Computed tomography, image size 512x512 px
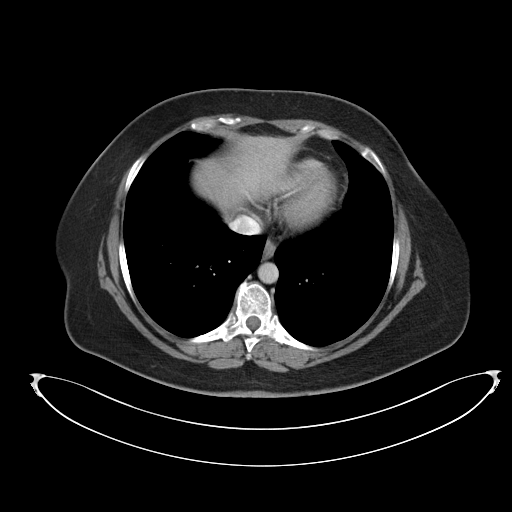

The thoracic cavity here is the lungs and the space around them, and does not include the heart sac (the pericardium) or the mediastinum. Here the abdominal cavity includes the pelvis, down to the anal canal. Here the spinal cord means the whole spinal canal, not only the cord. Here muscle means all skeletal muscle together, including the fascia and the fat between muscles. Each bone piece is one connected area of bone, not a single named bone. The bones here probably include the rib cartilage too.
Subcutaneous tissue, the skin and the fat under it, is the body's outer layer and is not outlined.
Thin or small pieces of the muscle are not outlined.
Outlines:
bones 1: 244 280; 255 281; 263 286; 273 300; 273 310; 283 327; 294 338; 316 347; 317 350; 301 349; 262 335; 251 349; 251 358; 248 360; 245 336; 242 334; 228 341; 215 339; 189 342; 189 338; 214 329; 226 319; 235 306; 236 290 with a hole at 252 316; 254 316; 255 317; 257 317; 259 319; 259 320; 260 321; 260 324; 259 325; 259 326; 257 328; 256 328; 254 330; 252 330; 250 328; 249 328; 247 326; 247 325; 246 324; 246 321; 247 320; 247 319; 249 317; 251 317
bones 2: 121 240; 123 240; 123 243; 124 244; 125 256; 126 257; 127 267; 129 272; 129 277; 131 281; 131 285; 133 291; 137 298; 138 303; 135 303; 130 297; 122 276; 121 268; 120 267; 120 262; 119 261; 119 250; 118 249; 118 246
bones 3: 219 117; 229 117; 230 118; 239 117; 240 118; 240 121; 234 124; 217 123; 216 125; 215 125; 212 128; 204 131; 197 131; 196 130; 193 130; 190 126; 190 125; 193 122; 199 122; 202 120; 205 120; 206 119; 216 119
bones 4: 394 234; 399 240; 399 255; 398 256; 397 267; 396 268; 396 271; 395 272; 395 276; 393 280; 393 283; 390 289; 388 291; 386 291; 386 288; 388 284; 389 276; 390 275; 390 269; 391 268; 392 249; 393 248; 393 237; 394 236
bones 5: 143 153; 146 153; 148 155; 148 156; 146 158; 145 161; 142 164; 140 169; 138 171; 133 181; 131 183; 131 185; 127 193; 126 193; 124 190; 124 188; 125 187; 125 183; 126 182; 126 179; 127 178; 129 170; 134 161; 141 154
bones 6: 306 124; 311 124; 313 125; 316 129; 328 129; 329 130; 331 130; 336 133; 339 136; 339 138; 338 139; 333 139; 332 140; 331 139; 322 138; 318 136; 315 133; 312 133; 311 132; 309 132; 308 133; 299 132; 300 131; 300 129
bones 7: 365 147; 369 147; 371 148; 378 156; 385 170; 385 172; 386 173; 386 176; 385 178; 382 175; 382 174; 377 169; 376 169; 376 168; 369 161; 368 161; 365 158; 364 158; 360 154; 359 152; 360 150; 361 150
pericardium: 300 147; 310 148; 336 158; 340 162; 346 173; 347 189; 341 208; 338 211; 333 213; 317 227; 296 235; 292 238; 272 237; 265 231; 258 220; 242 207; 244 193; 248 189; 258 188; 272 183; 284 170; 288 161; 295 154; 297 149
mediastinum 1: 240 207; 254 217; 264 231; 272 238; 289 239; 284 240; 273 254; 273 261; 278 269; 278 278; 273 298; 258 281; 248 281; 245 279; 260 262; 266 236; 263 234; 248 235; 238 233; 227 225; 227 222; 230 222; 238 213
mediastinum 2: 311 136; 317 136; 322 139; 331 140; 331 143; 333 147; 343 160; 346 166; 347 172; 348 173; 348 184; 347 173; 341 162; 336 157; 323 151; 320 151; 310 147; 307 147; 306 146; 300 146; 299 147; 306 139; 309 138
spinal cord: 252 316; 254 316; 255 317; 257 317; 259 319; 259 320; 260 321; 260 324; 259 325; 259 326; 257 328; 256 328; 254 330; 252 330; 250 328; 249 328; 247 326; 247 325; 246 324; 246 321; 247 320; 247 319; 249 317; 251 317
muscle 1: 381 160; 403 205; 426 285; 375 337; 354 351; 287 372; 268 370; 252 361; 239 367; 215 369; 205 363; 176 358; 154 345; 99 284; 97 259; 102 233; 118 185; 131 165; 123 188; 123 239; 117 246; 121 276; 131 300; 139 302; 162 328; 188 338; 189 343; 228 342; 244 336; 248 361; 262 336; 279 344; 317 351; 317 347; 342 340; 357 330; 394 283; 400 240; 394 233; 392 201
muscle 2: 219 113; 234 113; 262 119; 317 120; 339 129; 368 146; 357 151; 347 143; 340 140; 340 136; 333 130; 328 128; 316 128; 311 123; 304 124; 298 132; 289 132; 270 123; 256 123; 238 128; 213 128; 217 124; 234 125; 241 121; 239 116; 219 116; 216 118; 206 118; 199 121; 193 121; 189 125; 191 129; 176 133; 161 143; 149 155; 146 152; 141 153; 150 144; 166 133; 196 117
abdominal cavity: 256 124; 270 124; 289 133; 315 134; 306 138; 298 146; 283 170; 272 182; 248 188; 243 193; 237 213; 225 223; 215 210; 196 197; 190 189; 188 183; 190 160; 204 156; 220 144; 221 140; 218 137; 205 131; 215 128; 238 129
torso: 219 87; 330 94; 360 105; 387 126; 417 172; 447 209; 469 250; 470 313; 463 333; 451 346; 399 371; 348 389; 293 397; 223 397; 158 383; 74 345; 64 327; 66 284; 54 253; 56 227; 71 194; 102 150; 142 111; 177 94
thoracic cavity 1: 190 130; 203 132; 220 140; 211 151; 189 160; 187 183; 193 195; 215 211; 232 231; 248 236; 263 235; 265 241; 257 266; 237 286; 225 319; 206 332; 182 337; 158 324; 138 300; 128 267; 123 224; 127 194; 147 158; 168 139
thoracic cavity 2: 333 140; 339 140; 353 148; 384 178; 392 208; 392 248; 387 284; 374 311; 349 335; 326 345; 315 346; 294 337; 279 319; 273 299; 279 278; 274 254; 284 241; 317 228; 342 208; 348 189; 349 173; 344 160; 332 143